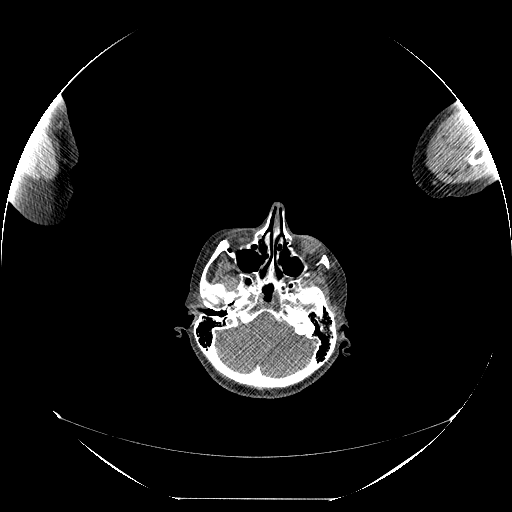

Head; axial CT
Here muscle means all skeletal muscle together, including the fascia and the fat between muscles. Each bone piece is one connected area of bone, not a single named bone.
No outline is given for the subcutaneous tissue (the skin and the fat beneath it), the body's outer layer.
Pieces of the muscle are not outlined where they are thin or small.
{"left_arm":[[[457,100],[464,106],[470,114],[481,132],[486,143],[489,145],[490,152],[498,172],[499,179],[487,186],[483,190],[467,196],[462,197],[449,196],[443,198],[434,198],[427,194],[415,183],[411,169],[412,158],[418,138],[426,125],[439,111],[447,105]]],"brain":[[[264,313],[269,314],[277,323],[285,324],[291,328],[295,334],[309,340],[312,347],[311,354],[302,366],[283,375],[272,375],[264,373],[259,363],[256,363],[248,371],[242,371],[230,366],[222,359],[217,346],[220,333],[237,328],[240,325],[247,325]]],"head":[{"outer":[[275,201],[283,204],[290,229],[322,241],[345,273],[349,326],[342,329],[350,354],[340,353],[299,393],[260,399],[240,396],[216,383],[196,357],[187,333],[183,330],[177,337],[174,327],[187,327],[193,319],[184,302],[205,241],[223,228],[257,226]],"holes":[[[261,242],[262,242],[264,246],[264,257],[259,264],[258,268],[249,272],[244,272],[242,271],[238,266],[237,252],[241,250],[250,250],[252,246],[254,245],[255,246],[254,251],[259,256],[262,256],[263,255],[263,252],[260,249],[260,246],[262,243]],[[283,248],[285,248],[287,250],[288,252],[288,255],[290,257],[295,257],[297,258],[301,263],[301,265],[302,266],[301,270],[300,272],[296,276],[290,275],[286,273],[284,271],[284,268],[281,262],[281,260],[282,259],[282,256],[281,255],[281,250]],[[269,284],[271,284],[272,285],[272,290],[271,291],[271,293],[270,294],[270,297],[269,298],[269,299],[266,299],[266,298],[265,297],[265,294],[264,293],[264,292],[263,291],[263,287],[264,286],[265,286],[266,285],[268,285]]]}],"right_arm":[[[58,95],[63,98],[67,106],[70,124],[79,151],[79,157],[77,163],[69,172],[73,186],[73,195],[66,211],[66,217],[57,225],[45,226],[33,223],[22,216],[14,207],[12,198],[11,197],[10,199],[9,191],[16,166],[30,134],[44,111]]],"bones":[{"outer":[[274,207],[283,209],[293,245],[308,262],[322,254],[328,258],[329,268],[311,266],[307,280],[331,305],[337,339],[327,361],[303,380],[258,389],[212,366],[196,343],[193,321],[201,302],[200,277],[218,243],[224,238],[233,245],[240,243],[264,224]],"holes":[[[264,313],[269,314],[277,323],[285,324],[291,328],[295,334],[309,340],[312,347],[311,354],[302,366],[283,375],[272,375],[264,373],[259,363],[256,363],[248,371],[242,371],[230,366],[222,359],[217,346],[220,333],[237,328],[240,325],[247,325]],[[222,252],[224,252],[232,261],[232,263],[235,266],[235,269],[237,272],[237,276],[238,277],[237,283],[233,288],[231,288],[230,289],[228,289],[223,282],[221,281],[217,281],[216,282],[212,283],[210,282],[206,277],[206,275],[209,269],[209,267]],[[261,242],[262,242],[264,246],[264,257],[259,264],[258,268],[249,272],[244,272],[242,271],[238,266],[237,252],[241,250],[250,250],[252,246],[254,245],[255,246],[254,251],[259,256],[262,256],[263,255],[263,252],[260,249],[260,246],[262,243]],[[283,248],[285,248],[287,250],[288,252],[288,255],[290,257],[295,257],[297,258],[301,263],[301,265],[302,266],[301,270],[300,272],[296,276],[290,275],[286,273],[284,271],[284,268],[281,262],[281,260],[282,259],[282,256],[281,255],[281,250]],[[269,284],[271,284],[272,285],[272,290],[271,291],[271,293],[270,294],[270,297],[269,298],[269,299],[266,299],[266,298],[265,297],[265,294],[264,293],[264,292],[263,291],[263,287],[264,286],[265,286],[266,285],[268,285]]]},[[480,142],[482,142],[485,144],[487,144],[489,145],[490,147],[490,156],[489,157],[489,159],[488,161],[484,164],[476,164],[475,165],[472,165],[470,164],[469,162],[469,159],[470,158],[470,156],[473,150],[477,146],[478,143]]],"muscle":[[[462,105],[470,114],[486,142],[485,143],[480,141],[477,143],[469,156],[469,164],[472,166],[484,165],[489,161],[491,153],[496,167],[484,173],[478,179],[466,180],[461,184],[445,184],[432,177],[427,170],[424,162],[425,149],[429,139],[440,122]],[[42,114],[45,116],[46,120],[52,131],[56,135],[60,147],[60,167],[58,170],[58,173],[53,178],[49,178],[48,179],[39,179],[35,177],[32,177],[30,175],[26,175],[21,173],[15,169],[24,146],[26,144],[30,134]],[[328,256],[334,263],[338,273],[337,279],[339,281],[340,291],[339,308],[341,318],[337,322],[337,325],[332,305],[324,292],[318,285],[308,280],[308,278],[311,275],[310,271],[311,267],[317,267],[319,265],[323,265],[327,269],[330,268],[330,261]],[[222,252],[224,252],[232,261],[232,263],[235,266],[235,269],[237,272],[237,276],[238,277],[237,283],[233,288],[231,288],[230,289],[228,289],[223,282],[221,281],[217,281],[216,282],[212,283],[210,282],[206,277],[206,275],[209,269],[209,267]],[[220,238],[223,238],[215,246],[213,251],[205,263],[199,277],[198,281],[198,293],[200,297],[200,302],[194,296],[194,292],[196,286],[196,280],[198,277],[198,273],[202,265],[204,257],[206,255],[208,250],[214,244],[214,242]],[[215,370],[216,371],[217,371],[219,373],[220,373],[222,375],[225,376],[227,378],[228,378],[229,379],[234,381],[236,383],[239,384],[236,384],[235,383],[232,383],[231,382],[226,380],[224,378],[223,378],[221,376],[220,376],[215,371]]]}